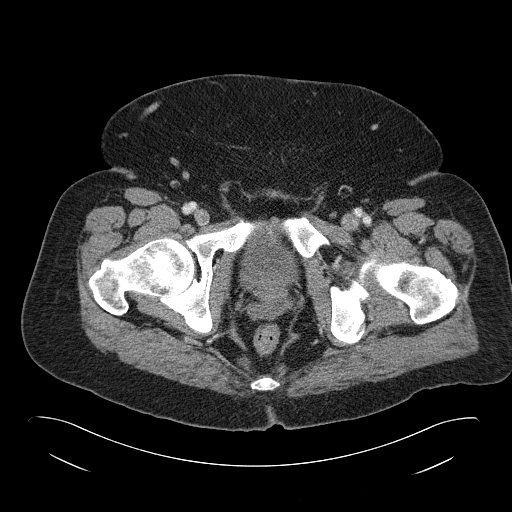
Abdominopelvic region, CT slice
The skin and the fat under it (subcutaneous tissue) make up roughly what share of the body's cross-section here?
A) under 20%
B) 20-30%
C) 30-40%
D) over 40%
D) over 40%
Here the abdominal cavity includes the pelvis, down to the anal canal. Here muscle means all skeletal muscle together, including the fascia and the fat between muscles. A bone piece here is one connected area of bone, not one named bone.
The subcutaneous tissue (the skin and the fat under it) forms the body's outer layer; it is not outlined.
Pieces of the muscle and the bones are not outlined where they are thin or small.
Outlines:
torso: [[222,73],[353,83],[395,100],[425,123],[443,151],[440,169],[479,192],[506,251],[511,372],[505,379],[422,389],[355,419],[231,431],[130,409],[54,377],[30,358],[20,316],[46,226],[69,185],[109,166],[100,151],[109,117],[151,90]]
muscle: [[226,181],[237,181],[252,189],[281,189],[295,195],[306,194],[321,183],[327,183],[330,204],[336,209],[376,204],[407,194],[426,194],[443,201],[474,240],[478,260],[468,302],[480,349],[472,355],[384,380],[297,398],[266,391],[273,391],[281,384],[266,373],[249,383],[252,390],[260,392],[242,398],[181,384],[100,352],[81,327],[77,290],[77,240],[90,209],[107,191],[129,186],[217,204],[220,187]]; inner edges: [[231,191],[307,202],[296,216],[330,243],[302,259],[304,300],[263,369],[248,353],[231,302],[235,252],[218,249],[212,260],[209,332],[190,328],[158,297],[134,291],[125,293],[128,310],[114,315],[88,286],[106,257],[232,226],[242,216],[229,202]], then [[371,255],[387,263],[405,261],[436,268],[456,286],[455,306],[439,319],[416,324],[409,307],[386,292],[369,273],[363,284],[369,296],[361,303],[365,314],[364,334],[352,344],[337,339],[330,329],[330,287],[347,288],[353,279],[358,279],[362,263]]
bones 1: [[240,218],[262,226],[237,251],[218,249],[215,252],[208,299],[212,319],[209,332],[190,328],[178,312],[156,296],[127,291],[129,308],[119,316],[103,309],[93,298],[88,280],[104,258],[125,257],[147,242],[163,237],[183,243],[194,234],[232,226]]
bones 2: [[371,255],[387,263],[405,261],[436,268],[456,286],[455,306],[439,319],[416,324],[409,307],[386,292],[369,273],[363,284],[369,296],[361,303],[365,314],[364,334],[352,344],[337,339],[330,329],[330,287],[347,288],[353,279],[358,279],[362,263]]
bones 3: [[293,216],[296,216],[297,217],[304,216],[306,217],[314,226],[314,227],[328,239],[330,243],[329,245],[322,245],[311,257],[309,257],[308,258],[304,258],[302,257],[302,256],[295,249],[292,245],[292,243],[290,240],[280,228],[284,221]]
bones 4: [[263,374],[266,374],[267,375],[269,375],[270,376],[271,376],[275,380],[278,381],[280,383],[279,386],[273,390],[266,390],[265,391],[258,391],[255,389],[252,389],[250,387],[250,383],[252,381],[253,381],[255,379],[256,379],[258,377],[259,377]]
abdominal cavity: [[231,191],[248,198],[268,198],[297,204],[307,202],[308,204],[306,210],[287,218],[279,228],[303,258],[306,276],[305,297],[291,320],[290,328],[273,364],[263,369],[254,365],[248,353],[239,331],[230,297],[236,252],[263,226],[240,215],[229,202]]